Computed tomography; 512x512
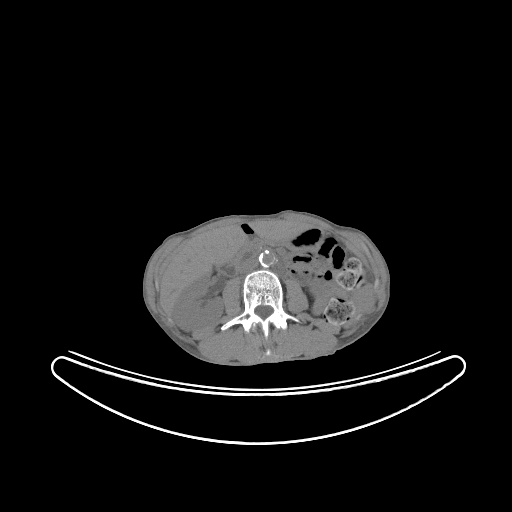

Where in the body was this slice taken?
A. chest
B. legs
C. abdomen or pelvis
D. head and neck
C. abdomen or pelvis
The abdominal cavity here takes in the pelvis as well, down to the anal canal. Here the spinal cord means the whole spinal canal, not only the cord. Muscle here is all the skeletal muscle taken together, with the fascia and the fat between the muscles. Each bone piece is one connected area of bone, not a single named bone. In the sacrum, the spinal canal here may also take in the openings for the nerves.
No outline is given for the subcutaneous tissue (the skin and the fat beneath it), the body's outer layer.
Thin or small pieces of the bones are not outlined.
Outlines:
muscle: [[284,213],[297,213],[298,214],[311,216],[317,218],[322,221],[324,221],[335,228],[341,230],[350,230],[351,231],[354,231],[364,236],[379,255],[383,262],[386,271],[386,286],[385,287],[386,295],[385,296],[385,301],[382,307],[369,320],[366,321],[357,331],[346,337],[340,339],[338,343],[332,349],[318,354],[315,354],[310,356],[299,355],[291,358],[280,358],[274,354],[270,355],[271,354],[271,350],[267,347],[265,349],[264,352],[265,355],[262,356],[256,361],[250,361],[249,362],[241,361],[237,359],[233,359],[227,361],[220,361],[219,360],[213,360],[203,356],[194,346],[188,343],[186,343],[184,341],[182,341],[174,335],[160,320],[158,316],[152,310],[151,307],[149,305],[149,303],[147,300],[147,296],[146,295],[146,275],[151,260],[155,254],[170,238],[176,236],[181,236],[182,235],[189,234],[193,231],[212,222],[215,222],[221,219],[226,219],[231,217],[241,217],[242,218],[249,218],[250,219],[253,219],[254,218],[275,218]], around a hole outlined by [[272,220],[343,238],[377,280],[376,306],[341,328],[307,311],[302,284],[289,274],[282,307],[299,321],[271,324],[266,339],[258,324],[221,330],[244,310],[242,280],[232,277],[221,288],[221,315],[183,332],[160,296],[172,256],[214,228]]
torso: [[284,209],[312,212],[338,224],[357,227],[371,238],[385,258],[390,272],[390,298],[383,315],[366,334],[353,343],[331,355],[310,360],[235,366],[206,362],[184,351],[155,322],[142,298],[142,275],[153,250],[169,234],[210,218],[228,214],[269,214]]
abdominal cavity: [[272,220],[312,224],[343,238],[375,278],[376,306],[344,329],[307,311],[308,297],[296,277],[287,275],[283,287],[276,273],[259,268],[248,272],[242,283],[239,277],[227,279],[221,288],[221,315],[183,332],[160,296],[160,278],[172,256],[214,228]]
bones: [[259,269],[267,269],[276,274],[283,288],[282,307],[299,321],[288,319],[286,321],[286,329],[277,328],[271,324],[266,339],[258,324],[251,327],[248,332],[245,332],[240,323],[221,330],[220,327],[224,323],[244,310],[242,297],[244,278],[248,273]], around a hole outlined by [[260,305],[263,305],[264,306],[270,306],[272,308],[272,309],[273,310],[272,311],[272,312],[269,315],[268,315],[266,317],[265,317],[264,318],[262,318],[260,316],[259,316],[257,314],[256,314],[255,313],[255,308],[256,307],[257,307]]
spinal cord: [[260,305],[263,305],[264,306],[270,306],[272,308],[272,309],[273,310],[272,311],[272,312],[269,315],[268,315],[266,317],[265,317],[264,318],[262,318],[260,316],[259,316],[257,314],[256,314],[255,313],[255,308],[256,307],[257,307]]